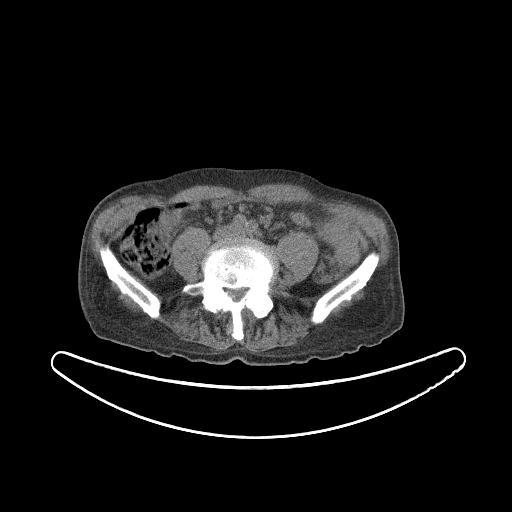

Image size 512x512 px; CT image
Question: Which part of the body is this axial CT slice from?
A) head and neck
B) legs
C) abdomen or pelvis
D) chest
Answer: C) abdomen or pelvis
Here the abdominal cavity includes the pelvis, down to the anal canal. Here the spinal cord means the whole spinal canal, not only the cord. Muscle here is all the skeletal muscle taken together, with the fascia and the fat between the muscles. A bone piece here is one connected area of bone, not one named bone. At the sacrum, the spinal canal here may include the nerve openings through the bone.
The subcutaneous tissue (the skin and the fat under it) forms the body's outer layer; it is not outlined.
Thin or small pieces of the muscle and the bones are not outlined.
{"abdominal_cavity":[[[229,195],[319,206],[359,234],[366,255],[321,293],[301,296],[290,289],[315,267],[319,246],[313,235],[292,230],[272,246],[245,236],[227,236],[211,244],[205,229],[190,226],[171,246],[173,269],[187,283],[160,294],[124,267],[113,242],[146,206]]],"spinal_cord":[[[239,288],[247,288],[247,290],[244,293],[244,294],[243,295],[243,296],[242,296],[238,300],[234,300],[232,298],[232,297],[229,294],[229,293],[226,290],[225,290],[225,289],[238,289]]],"muscle":[[[271,183],[298,185],[315,197],[341,200],[372,210],[385,222],[390,240],[387,264],[375,275],[364,297],[347,308],[342,316],[326,320],[296,345],[264,353],[243,350],[238,344],[226,350],[193,346],[151,319],[157,320],[161,316],[162,302],[134,276],[160,295],[165,296],[181,289],[182,294],[194,297],[200,295],[202,308],[208,312],[229,312],[232,325],[230,335],[234,340],[241,342],[244,339],[243,310],[248,309],[257,319],[261,319],[274,307],[270,283],[275,277],[279,263],[272,247],[292,231],[304,232],[313,236],[317,243],[317,259],[311,272],[303,280],[293,284],[289,291],[301,297],[321,294],[314,302],[309,316],[313,324],[319,325],[336,307],[344,301],[349,301],[367,284],[380,260],[380,255],[375,250],[366,254],[364,240],[349,223],[319,205],[312,202],[269,200],[250,194],[229,194],[206,199],[149,204],[137,211],[129,226],[112,242],[111,247],[108,243],[99,247],[99,258],[107,278],[90,250],[90,233],[99,208],[118,197],[162,196],[194,185],[220,185],[245,192],[252,187]],[[190,227],[193,228],[201,228],[205,230],[209,236],[210,239],[210,245],[207,248],[205,252],[205,255],[202,258],[200,262],[200,269],[202,273],[202,278],[198,281],[188,283],[183,277],[174,269],[173,260],[172,259],[172,246],[178,236],[186,229]],[[108,279],[116,285],[119,291],[122,294],[128,296],[135,303],[136,303],[140,307],[142,311],[149,317],[148,317],[145,314],[141,312],[133,312],[129,309],[128,309],[125,306],[124,306],[117,298],[117,295],[116,293],[111,289],[110,285],[108,282]]],"bones":[{"outer":[[227,237],[261,241],[273,249],[278,263],[269,283],[273,307],[261,318],[257,318],[248,308],[242,310],[241,341],[231,335],[233,325],[229,311],[220,310],[213,313],[203,308],[200,294],[194,296],[182,293],[186,284],[203,278],[201,262],[208,248]],"hole":[[239,288],[247,288],[247,290],[244,293],[244,294],[243,295],[243,296],[242,296],[238,300],[234,300],[232,298],[232,297],[229,294],[229,293],[226,290],[225,290],[225,289],[238,289]]},[[371,251],[375,251],[379,255],[379,260],[376,268],[370,278],[367,281],[366,284],[361,289],[354,293],[349,300],[344,300],[336,306],[321,323],[319,324],[313,323],[310,320],[310,316],[314,304],[317,299],[322,294],[326,292],[335,284],[354,270]],[[104,244],[108,244],[123,267],[138,281],[154,293],[160,300],[161,302],[160,316],[157,319],[153,319],[145,313],[136,302],[128,295],[122,293],[117,285],[108,278],[106,274],[105,268],[103,266],[102,261],[100,258],[100,254],[99,253],[100,247]]],"torso":[[[202,166],[297,168],[325,181],[362,191],[379,201],[389,213],[399,240],[405,305],[401,328],[379,344],[361,346],[354,353],[270,366],[247,365],[238,359],[222,365],[192,362],[98,338],[82,314],[77,291],[81,238],[91,211],[103,197],[122,185]]]}